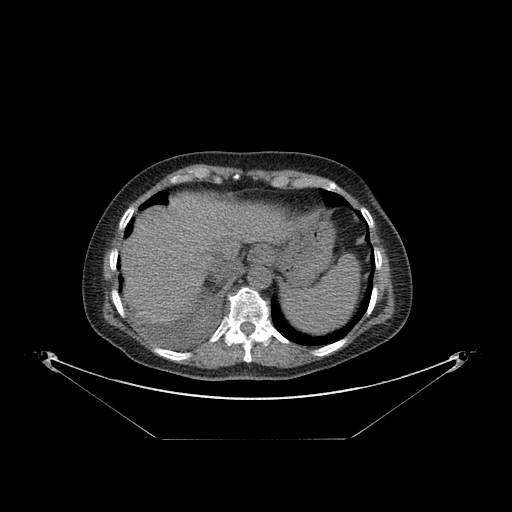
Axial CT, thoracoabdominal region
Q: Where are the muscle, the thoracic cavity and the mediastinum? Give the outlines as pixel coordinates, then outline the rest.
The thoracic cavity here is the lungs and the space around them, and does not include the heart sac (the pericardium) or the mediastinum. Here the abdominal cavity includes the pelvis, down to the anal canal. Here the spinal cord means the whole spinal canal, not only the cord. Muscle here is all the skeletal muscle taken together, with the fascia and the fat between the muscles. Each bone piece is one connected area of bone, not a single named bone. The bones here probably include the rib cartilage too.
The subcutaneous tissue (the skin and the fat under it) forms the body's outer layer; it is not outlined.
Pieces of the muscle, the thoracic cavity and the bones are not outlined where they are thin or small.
A: {"muscle":[[[370,211],[384,237],[392,269],[396,299],[392,317],[372,326],[341,350],[319,360],[288,368],[251,362],[253,344],[256,342],[267,346],[272,337],[287,345],[293,342],[316,347],[310,349],[309,353],[316,357],[323,357],[345,345],[349,340],[347,334],[364,315],[368,317],[371,314],[378,297],[378,288],[373,282],[374,275],[375,271],[381,268],[383,259],[380,249],[373,246],[371,242],[370,230],[374,228],[375,222]],[[121,215],[117,224],[122,232],[120,246],[118,250],[111,248],[108,254],[109,268],[112,272],[117,271],[118,282],[117,288],[110,290],[110,298],[118,314],[122,318],[127,315],[140,333],[155,345],[151,348],[153,353],[102,316],[104,251],[114,223]],[[198,163],[204,163],[209,165],[216,165],[217,166],[238,167],[244,170],[249,169],[263,169],[264,170],[293,169],[318,175],[329,179],[314,178],[307,176],[290,178],[287,175],[282,174],[273,177],[269,181],[269,183],[267,183],[261,180],[257,180],[258,178],[256,176],[253,176],[252,179],[249,178],[241,179],[241,175],[238,172],[236,172],[231,176],[232,179],[228,179],[223,182],[223,179],[219,175],[216,174],[212,175],[211,171],[207,167],[205,166],[196,166],[188,168],[183,173],[177,173],[172,175],[168,179],[168,183],[171,185],[154,193],[142,202],[138,206],[137,209],[136,206],[133,204],[130,204],[130,203],[148,190],[158,181],[166,175],[178,169]],[[221,337],[227,346],[230,346],[233,344],[241,344],[244,351],[242,362],[229,366],[221,366],[217,368],[209,369],[185,364],[180,364],[172,361],[178,362],[183,360],[187,360],[193,354],[191,351],[188,350],[195,348],[206,340],[209,343],[213,343]],[[340,187],[341,187],[343,189],[344,189],[348,193],[351,194],[354,197],[355,197],[363,205],[364,205],[365,206],[362,205],[361,206],[360,206],[358,209],[356,209],[354,207],[353,207],[351,205],[351,204],[343,196],[343,191],[342,190],[342,189]]],"thoracic_cavity":[[[222,289],[225,289],[226,291],[225,299],[227,302],[227,312],[222,317],[215,330],[207,339],[195,347],[192,347],[185,351],[176,351],[156,345],[141,333],[126,313],[126,312],[139,319],[150,323],[160,323],[182,319],[186,318],[200,309],[215,292]],[[319,188],[342,196],[360,212],[369,229],[375,270],[366,309],[357,323],[343,337],[317,347],[291,341],[274,326],[271,319],[272,298],[275,298],[283,318],[294,330],[311,337],[325,336],[345,326],[358,313],[371,268],[365,222],[347,206],[326,205]],[[164,189],[167,191],[167,201],[166,203],[156,203],[155,204],[152,204],[139,211],[135,215],[135,217],[133,220],[131,231],[126,237],[123,237],[123,232],[126,226],[128,224],[131,218],[134,215],[134,213],[137,211],[139,206],[154,194]]],"mediastinum":[[[243,179],[261,181],[274,188],[282,189],[318,188],[323,203],[333,207],[322,207],[309,214],[294,216],[297,201],[291,192],[260,187],[247,187],[222,195],[213,188],[190,187],[178,189],[168,196],[166,188],[172,185],[192,181],[221,184],[228,180]],[[248,261],[264,262],[272,268],[276,276],[278,285],[276,292],[276,298],[273,296],[270,301],[268,299],[264,298],[256,289],[248,285],[242,285],[233,292],[230,291],[227,292],[225,288],[221,289],[222,285],[225,283],[230,275],[240,265],[244,262]]],"abdominal_cavity":[[[190,188],[221,193],[226,218],[248,239],[282,232],[294,217],[322,208],[353,210],[365,224],[370,253],[357,313],[331,333],[301,333],[280,310],[273,268],[257,260],[240,264],[186,317],[150,322],[125,311],[120,295],[122,239],[139,212]]],"spinal_cord":[[[244,322],[250,322],[252,324],[253,324],[254,325],[254,329],[253,330],[253,331],[251,333],[250,333],[249,334],[248,334],[247,335],[246,334],[245,334],[241,330],[241,329],[240,328],[240,326],[241,325],[241,324],[242,323],[243,323]]],"pericardium":[[[247,188],[260,188],[261,189],[267,189],[274,191],[287,191],[291,193],[293,195],[296,202],[295,203],[295,213],[290,224],[282,231],[260,235],[250,238],[248,238],[236,231],[230,221],[227,218],[221,206],[220,203],[221,196],[227,193],[230,193]]],"bones":[{"outer":[[242,286],[256,290],[270,302],[270,319],[273,326],[290,341],[287,344],[283,343],[272,336],[267,345],[262,342],[254,342],[250,349],[250,362],[243,360],[245,351],[241,343],[227,345],[222,336],[213,342],[208,341],[228,312],[226,294],[233,293]],"hole":[[244,322],[250,322],[252,324],[253,324],[254,325],[254,329],[253,330],[253,331],[251,333],[250,333],[249,334],[248,334],[247,335],[246,334],[245,334],[241,330],[241,329],[240,328],[240,326],[241,325],[241,324],[242,323],[243,323]]},[[282,175],[285,175],[290,179],[307,177],[314,179],[331,180],[337,184],[341,189],[342,195],[333,191],[330,191],[322,187],[302,187],[301,188],[294,188],[292,187],[290,184],[287,185],[285,188],[274,187],[270,184],[270,181],[273,178]],[[196,167],[205,167],[207,168],[210,171],[212,176],[216,175],[219,176],[222,179],[221,183],[215,183],[211,177],[202,180],[194,178],[191,181],[182,182],[177,184],[170,184],[169,183],[169,179],[172,176],[177,174],[183,174],[188,169]],[[155,346],[157,346],[160,348],[163,348],[164,349],[175,351],[176,352],[185,352],[186,351],[189,351],[191,352],[192,354],[191,356],[187,359],[183,359],[178,361],[176,361],[175,360],[171,360],[170,359],[162,357],[154,353],[152,351],[152,348]],[[345,336],[347,336],[348,338],[347,342],[341,347],[338,348],[336,350],[328,354],[326,354],[323,356],[316,356],[310,353],[310,350],[312,349],[314,349],[315,348],[318,348],[319,347],[321,347],[322,346],[324,346],[325,345],[333,343],[343,338]],[[113,288],[115,288],[117,289],[119,293],[119,295],[121,299],[121,302],[124,308],[124,311],[126,315],[125,317],[122,317],[119,314],[118,311],[116,309],[112,301],[112,299],[111,298],[111,294],[110,293],[111,292],[111,290]],[[130,205],[133,205],[135,207],[136,207],[136,209],[134,211],[134,212],[133,213],[133,215],[130,218],[130,219],[128,221],[127,224],[125,226],[123,231],[122,231],[118,228],[118,224],[119,223],[120,218],[122,216],[123,213],[125,211],[125,210]],[[373,285],[375,285],[377,288],[377,297],[376,298],[376,301],[375,302],[374,307],[372,311],[370,313],[370,314],[368,316],[365,316],[364,314],[367,309],[367,307],[368,306],[368,304],[370,300],[370,296],[371,295],[371,292],[372,291]],[[113,248],[116,248],[117,249],[117,250],[118,251],[118,257],[117,258],[117,262],[116,263],[116,270],[115,271],[112,271],[111,270],[111,269],[110,268],[110,265],[109,264],[109,254],[110,253],[110,251],[111,250],[111,249],[112,249]],[[362,206],[365,207],[369,211],[369,212],[371,214],[371,216],[373,219],[373,221],[374,222],[374,226],[373,227],[373,228],[372,228],[371,229],[370,229],[369,228],[369,227],[368,226],[364,217],[362,215],[361,212],[359,210],[360,207],[361,207]],[[375,246],[376,247],[377,247],[379,249],[379,250],[380,251],[380,252],[381,253],[381,258],[382,259],[382,261],[381,262],[381,266],[380,267],[380,268],[378,270],[376,270],[375,269],[375,263],[374,262],[374,253],[373,252],[373,247],[374,247]]],"torso":[[[203,150],[306,152],[334,159],[358,173],[371,188],[393,223],[408,256],[413,298],[409,316],[401,329],[382,344],[343,363],[281,380],[205,381],[188,378],[139,364],[98,335],[84,312],[81,281],[87,246],[99,218],[116,193],[141,170],[174,155]]]}